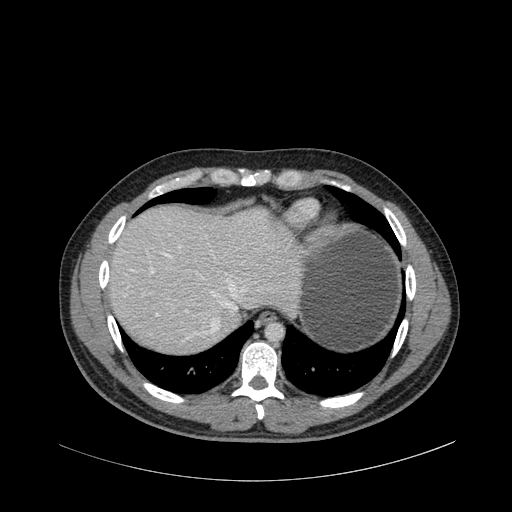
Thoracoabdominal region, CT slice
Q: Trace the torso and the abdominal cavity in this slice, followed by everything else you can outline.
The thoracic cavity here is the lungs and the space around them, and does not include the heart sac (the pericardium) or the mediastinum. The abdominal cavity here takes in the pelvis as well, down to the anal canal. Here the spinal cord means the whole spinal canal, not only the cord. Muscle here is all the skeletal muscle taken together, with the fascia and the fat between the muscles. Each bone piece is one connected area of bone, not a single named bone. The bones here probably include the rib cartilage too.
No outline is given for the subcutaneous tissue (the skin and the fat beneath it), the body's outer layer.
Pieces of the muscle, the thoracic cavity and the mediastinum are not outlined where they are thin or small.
A: torso: (243, 443) (318, 441) (373, 425) (421, 396) (450, 355) (460, 303) (448, 252) (416, 203) (382, 171) (352, 155) (315, 147) (198, 147) (168, 152) (139, 165) (110, 187) (79, 222) (63, 250) (58, 280) (60, 324) (70, 353) (88, 384) (115, 407) (154, 427) (195, 439)
abdominal cavity: (168, 355) (206, 350) (262, 309) (277, 311) (288, 324) (334, 352) (369, 347) (393, 325) (401, 296) (401, 260) (377, 232) (351, 220) (298, 234) (282, 216) (280, 198) (269, 194) (214, 206) (151, 206) (132, 215) (113, 244) (106, 287) (112, 313) (127, 335) (140, 347)
spinal cord: (256, 389) (260, 389) (261, 388) (263, 388) (264, 387) (265, 387) (266, 386) (266, 382) (265, 381) (265, 380) (261, 376) (259, 376) (258, 375) (257, 375) (256, 376) (255, 376) (251, 380) (251, 381) (250, 382) (250, 385) (252, 387) (253, 387) (254, 388) (255, 388)
thoracic cavity 1: (320, 397) (334, 396) (356, 390) (369, 381) (382, 367) (404, 315) (405, 294) (403, 269) (401, 272) (402, 296) (394, 325) (382, 340) (369, 348) (349, 354) (334, 353) (318, 346) (291, 325) (287, 326) (280, 356) (281, 369) (286, 378) (294, 386)
thoracic cavity 2: (182, 395) (206, 391) (226, 381) (229, 378) (237, 369) (239, 364) (239, 355) (243, 347) (243, 344) (252, 333) (252, 320) (246, 322) (215, 346) (206, 351) (191, 356) (168, 356) (140, 348) (126, 335) (119, 326) (122, 340) (127, 352) (136, 367) (144, 376) (158, 386)
thoracic cavity 3: (399, 259) (401, 259) (401, 248) (390, 226) (381, 212) (353, 193) (346, 192) (333, 186) (323, 185) (340, 201) (346, 204) (349, 207) (350, 210) (349, 211) (349, 215) (350, 218) (352, 220) (361, 223) (377, 231) (378, 233) (390, 244) (394, 250) (397, 257)
thoracic cavity 4: (133, 215) (136, 215) (147, 207) (157, 203) (165, 203) (166, 202) (173, 202) (174, 201) (186, 202) (187, 203) (207, 203) (213, 199) (215, 191) (209, 186) (197, 186) (196, 187) (184, 188) (168, 192) (163, 195) (158, 196) (147, 201) (138, 208) (134, 212)
pericardium: (303, 235) (305, 235) (313, 230) (319, 227) (322, 227) (329, 223) (333, 223) (336, 221) (341, 220) (342, 216) (341, 209) (336, 198) (334, 196) (329, 193) (324, 193) (323, 192) (302, 192) (289, 196) (285, 196) (280, 199) (282, 214) (287, 223) (293, 230)
muscle: (283, 433) (300, 433) (356, 413) (420, 366) (444, 335) (450, 320) (450, 296) (441, 273) (396, 204) (337, 171) (271, 169) (275, 173) (288, 169) (303, 172) (307, 181) (304, 187) (320, 184) (318, 179) (322, 176) (339, 179) (380, 211) (385, 204) (395, 213) (407, 237) (407, 248) (402, 249) (403, 267) (411, 263) (416, 274) (414, 298) (406, 301) (409, 328) (405, 341) (396, 356) (388, 358) (380, 371) (357, 390) (365, 394) (353, 405) (341, 408) (322, 408) (316, 402) (319, 397) (291, 384) (278, 384) (287, 400) (266, 398) (262, 401) (265, 415) (258, 420) (253, 401) (246, 396) (229, 396) (237, 385) (234, 379) (200, 394) (184, 395) (186, 400) (180, 404) (162, 401) (141, 385) (146, 379) (127, 353) (118, 350) (106, 325) (106, 314) (111, 309) (106, 288) (99, 287) (98, 267) (103, 258) (109, 259) (112, 245) (107, 243) (107, 235) (116, 219) (123, 213) (127, 219) (147, 200) (146, 194) (156, 184) (199, 169) (237, 167) (194, 167) (162, 176) (130, 201) (111, 208) (83, 247) (71, 279) (72, 327) (109, 373) (156, 410) (221, 431) (245, 430) (261, 423) (268, 430)
bones 1: (258, 419) (262, 419) (264, 415) (261, 401) (269, 396) (286, 400) (284, 393) (277, 384) (290, 384) (280, 369) (279, 356) (269, 344) (263, 341) (252, 342) (242, 349) (239, 367) (229, 379) (234, 378) (236, 380) (234, 383) (238, 383) (230, 396) (246, 395) (253, 400) with a hole at (256, 389) (260, 389) (261, 388) (263, 388) (264, 387) (265, 387) (266, 386) (266, 382) (265, 381) (265, 380) (261, 376) (259, 376) (258, 375) (257, 375) (256, 376) (255, 376) (251, 380) (251, 381) (250, 382) (250, 385) (252, 387) (253, 387) (254, 388) (255, 388)
bones 2: (148, 200) (168, 191) (196, 186) (199, 181) (209, 181) (222, 186) (231, 184) (253, 186) (271, 182) (282, 189) (302, 188) (306, 181) (304, 174) (296, 170) (277, 174) (270, 169) (253, 173) (245, 168) (235, 170) (216, 168) (206, 172) (199, 170) (156, 185) (147, 194)
bones 3: (331, 408) (334, 408) (335, 407) (341, 407) (342, 406) (353, 404) (364, 394) (364, 391) (362, 390) (361, 391) (354, 391) (344, 395) (339, 395) (334, 397) (327, 397) (326, 398) (321, 398) (319, 399) (317, 402) (322, 407) (330, 407)
bones 4: (174, 403) (180, 403) (181, 402) (183, 402) (185, 400) (185, 397) (181, 395) (176, 394) (173, 392) (162, 389) (147, 380) (144, 380) (142, 382) (142, 385) (145, 388) (145, 389) (153, 396) (157, 398) (159, 398) (162, 400) (165, 400) (166, 401) (169, 401)
bones 5: (402, 248) (406, 248) (406, 237) (405, 236) (405, 233) (403, 230) (403, 228) (400, 222) (398, 220) (398, 219) (396, 217) (394, 213) (388, 207) (387, 207) (385, 205) (383, 205) (382, 207) (382, 212) (385, 216) (385, 217) (387, 219) (389, 224) (391, 226)
bones 6: (389, 358) (393, 358) (395, 356) (395, 355) (398, 352) (399, 349) (401, 347) (404, 341) (404, 339) (407, 333) (407, 329) (408, 328) (408, 318) (406, 316) (404, 316) (398, 328) (398, 330) (396, 334) (396, 337) (395, 338) (395, 340) (394, 341) (392, 349) (388, 357)
bones 7: (408, 301) (410, 301) (412, 300) (413, 298) (413, 296) (414, 295) (414, 293) (415, 292) (415, 274) (414, 273) (414, 270) (413, 269) (413, 267) (411, 265) (411, 264) (409, 263) (407, 264) (406, 267) (404, 269) (405, 271) (405, 293) (406, 294) (406, 300)
bones 8: (123, 353) (126, 353) (126, 350) (122, 343) (122, 341) (121, 340) (121, 337) (120, 336) (120, 334) (119, 333) (119, 330) (118, 329) (118, 326) (115, 321) (115, 319) (113, 315) (111, 313) (108, 313) (107, 314) (107, 325) (108, 326) (110, 334) (119, 350)
bones 9: (110, 244) (112, 244) (117, 239) (117, 238) (118, 237) (121, 230) (123, 228) (123, 226) (125, 224) (125, 222) (126, 221) (126, 215) (125, 214) (123, 214) (122, 215) (121, 215) (113, 224) (113, 225) (109, 232) (109, 234) (108, 235) (108, 243) (109, 243)
bones 10: (102, 289) (103, 289) (107, 285) (107, 281) (108, 280) (108, 272) (109, 271) (109, 268) (108, 267) (108, 261) (106, 259) (103, 259) (102, 260) (102, 261) (101, 262) (101, 263) (100, 264) (100, 266) (99, 267) (99, 283) (100, 284) (100, 287)
bones 11: (350, 192) (353, 192) (353, 190) (351, 186) (349, 184) (344, 183) (339, 180) (337, 180) (333, 178) (328, 178) (327, 177) (322, 177) (319, 179) (319, 182) (321, 184) (328, 184) (329, 185) (333, 185) (339, 188) (341, 188) (346, 191) (349, 191)
mediastinum 1: (279, 355) (281, 353) (281, 348) (285, 336) (287, 322) (277, 312) (274, 312) (271, 310) (262, 310) (261, 312) (258, 312) (252, 318) (254, 322) (254, 330) (253, 333) (244, 344) (244, 346) (246, 344) (255, 340) (263, 340) (269, 343) (276, 350)
mediastinum 2: (204, 205) (222, 204) (251, 193) (258, 195) (260, 193) (269, 193) (271, 195) (281, 197) (302, 191) (330, 192) (322, 185) (297, 190) (282, 190) (269, 184) (253, 187) (233, 185) (222, 187) (218, 185) (211, 185) (210, 186) (216, 191) (214, 199) (207, 204) (202, 204)
mediastinum 3: (342, 219) (350, 219) (349, 218) (349, 216) (348, 215) (348, 211) (349, 210) (348, 209) (348, 207) (346, 205) (345, 205) (344, 204) (343, 204) (338, 200) (338, 201) (339, 202) (339, 203) (341, 206) (341, 208) (342, 209) (342, 214) (343, 215) (343, 216) (342, 217)